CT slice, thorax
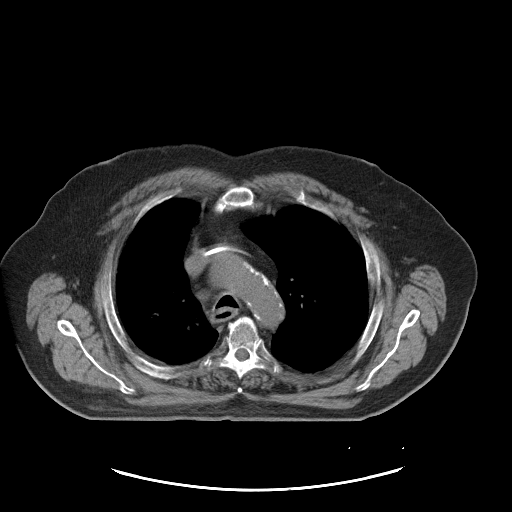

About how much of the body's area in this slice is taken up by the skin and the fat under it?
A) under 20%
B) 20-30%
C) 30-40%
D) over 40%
C) 30-40%
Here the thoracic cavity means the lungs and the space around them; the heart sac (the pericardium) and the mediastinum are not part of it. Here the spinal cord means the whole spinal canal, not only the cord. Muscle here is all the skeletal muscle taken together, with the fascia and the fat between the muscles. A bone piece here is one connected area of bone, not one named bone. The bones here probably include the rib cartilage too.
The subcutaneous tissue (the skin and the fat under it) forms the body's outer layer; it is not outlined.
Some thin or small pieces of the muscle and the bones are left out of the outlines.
{"mediastinum":[[[200,200],[214,201],[212,208],[218,213],[264,205],[278,207],[274,214],[251,218],[240,226],[243,233],[273,260],[278,272],[275,287],[284,304],[285,317],[269,343],[248,315],[230,321],[227,333],[220,337],[190,289],[183,258],[201,212]]],"muscle":[{"outer":[[184,166],[204,167],[219,172],[236,182],[272,172],[298,172],[318,180],[336,192],[358,201],[367,208],[375,223],[367,231],[386,254],[391,269],[391,277],[396,282],[401,283],[409,272],[422,264],[429,264],[436,267],[444,281],[446,294],[445,318],[432,337],[422,359],[415,367],[404,372],[389,384],[370,390],[353,407],[344,409],[276,402],[266,403],[248,399],[240,394],[225,401],[201,405],[140,406],[130,404],[113,393],[92,391],[76,382],[67,381],[58,375],[48,353],[26,323],[27,293],[31,283],[45,272],[55,272],[65,279],[79,303],[91,306],[96,274],[110,241],[109,235],[98,234],[97,232],[111,217],[109,213],[110,207],[125,192],[145,179]],"holes":[[[234,186],[248,187],[256,202],[278,207],[296,204],[290,192],[302,189],[310,202],[325,205],[358,244],[359,232],[373,243],[383,310],[371,342],[355,363],[354,348],[332,366],[313,373],[282,363],[279,372],[253,368],[239,379],[228,367],[208,370],[186,363],[180,376],[163,379],[138,369],[117,342],[102,305],[103,275],[111,263],[114,294],[118,260],[141,208],[150,197],[177,187],[181,191],[176,197],[207,202]],[[60,319],[68,320],[75,328],[77,334],[82,342],[82,344],[90,355],[104,369],[117,376],[127,386],[134,388],[135,393],[134,394],[123,393],[119,389],[119,383],[116,380],[97,368],[84,354],[77,340],[72,336],[63,334],[58,329],[57,321]],[[412,309],[419,310],[419,316],[418,318],[411,326],[405,328],[401,332],[397,348],[383,365],[373,374],[370,380],[369,386],[364,390],[356,391],[354,389],[355,387],[362,383],[366,379],[370,371],[392,349],[395,344],[396,336],[399,326],[405,316]]]},[[129,339],[129,340],[133,344],[133,345],[139,351],[139,352],[141,354],[141,355],[140,355],[139,354],[138,354],[137,353],[136,353],[132,349],[132,348],[130,346],[130,345],[129,344]]],"spinal_cord":[[[239,349],[244,349],[248,353],[248,356],[247,357],[247,358],[246,358],[245,359],[244,359],[243,360],[240,360],[239,359],[238,359],[236,357],[236,356],[235,355],[235,354],[236,353],[236,352]]],"thoracic_cavity":[[[287,204],[302,205],[343,226],[359,244],[368,283],[371,307],[354,348],[332,366],[313,373],[304,373],[281,363],[265,343],[270,343],[272,336],[286,317],[285,304],[276,287],[279,272],[274,260],[250,239],[241,227],[251,219],[274,215],[280,206]],[[174,197],[191,198],[200,202],[200,212],[189,233],[182,265],[191,293],[199,302],[207,322],[217,331],[221,339],[217,346],[202,357],[189,363],[170,365],[158,364],[148,360],[142,356],[130,340],[117,313],[114,281],[118,260],[129,234],[148,211]]],"bones":[{"outer":[[242,316],[248,316],[253,320],[258,334],[263,339],[266,347],[281,364],[281,371],[272,373],[265,369],[253,368],[239,379],[236,372],[228,367],[216,367],[208,370],[205,366],[198,364],[188,365],[202,358],[217,347],[222,338],[228,333],[228,324]],"hole":[[239,349],[244,349],[248,353],[248,356],[247,357],[247,358],[246,358],[245,359],[244,359],[243,360],[240,360],[239,359],[238,359],[236,357],[236,356],[235,355],[235,354],[236,353],[236,352]]},[[109,261],[112,267],[112,294],[114,305],[118,319],[128,338],[129,346],[136,354],[152,363],[170,366],[185,365],[181,369],[183,373],[180,376],[163,379],[141,371],[132,362],[132,356],[115,339],[108,326],[101,297],[103,275],[109,268]],[[359,232],[365,235],[373,243],[377,251],[380,264],[381,279],[380,292],[378,298],[383,303],[383,310],[377,330],[371,342],[359,359],[352,364],[356,344],[366,326],[371,308],[377,299],[376,287],[373,284],[369,285],[368,282],[365,258],[359,243]],[[234,186],[245,186],[250,188],[254,194],[254,200],[256,202],[263,202],[264,204],[260,207],[255,207],[254,208],[251,207],[237,207],[232,209],[225,209],[221,212],[218,212],[214,210],[213,206],[215,201],[220,196],[221,196],[225,191],[229,188]],[[60,319],[68,320],[75,328],[77,334],[82,342],[82,344],[90,355],[104,369],[117,376],[127,386],[134,388],[135,393],[134,394],[123,393],[119,389],[119,383],[116,380],[97,368],[84,354],[77,340],[72,336],[63,334],[58,329],[57,321]],[[412,309],[419,310],[419,316],[418,318],[411,326],[405,328],[401,332],[397,348],[383,365],[373,374],[370,380],[369,386],[364,390],[356,391],[354,389],[355,387],[362,383],[366,379],[370,371],[392,349],[395,344],[396,336],[399,326],[405,316]],[[177,187],[180,187],[181,188],[181,191],[178,194],[171,198],[169,198],[163,201],[161,203],[154,206],[148,210],[140,218],[133,229],[128,234],[128,232],[133,222],[133,220],[141,208],[150,197],[155,195],[159,192],[164,192],[171,189],[174,189]],[[301,189],[302,189],[304,191],[306,198],[310,202],[316,202],[317,201],[325,205],[332,212],[334,216],[334,220],[319,211],[317,211],[314,209],[312,209],[302,204],[297,203],[296,202],[295,198],[291,195],[290,192],[292,190],[295,190],[297,191]]],"torso":[[[188,142],[212,145],[234,154],[291,144],[361,157],[376,163],[435,206],[469,244],[477,264],[477,283],[465,324],[437,373],[393,407],[358,421],[93,420],[52,399],[31,377],[16,347],[4,303],[1,258],[36,221],[50,196],[84,167],[134,148]]]}